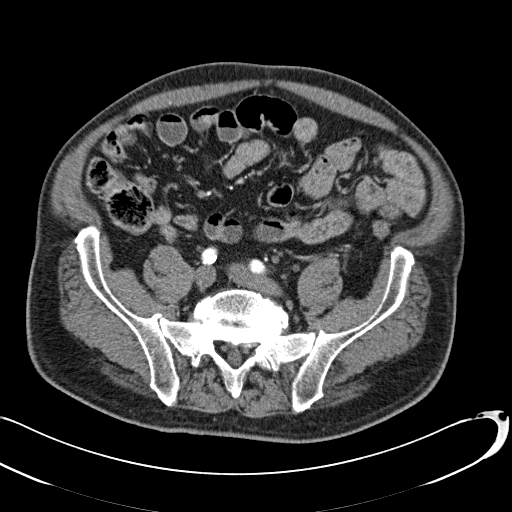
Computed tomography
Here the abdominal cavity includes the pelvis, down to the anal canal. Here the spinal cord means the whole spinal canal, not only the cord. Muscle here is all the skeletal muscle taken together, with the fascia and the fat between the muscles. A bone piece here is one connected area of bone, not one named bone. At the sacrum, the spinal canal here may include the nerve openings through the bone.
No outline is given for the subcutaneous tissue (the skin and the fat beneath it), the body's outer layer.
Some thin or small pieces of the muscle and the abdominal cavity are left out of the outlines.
{"torso":[[[212,61],[304,65],[359,81],[393,103],[432,140],[459,184],[465,245],[449,357],[433,389],[386,420],[349,435],[309,443],[165,432],[120,420],[77,400],[45,381],[30,361],[25,340],[27,283],[38,196],[50,162],[80,126],[126,92],[168,71]]],"muscle":[[[266,77],[329,89],[381,112],[415,138],[443,170],[455,197],[455,223],[428,261],[431,296],[421,339],[359,395],[334,406],[310,408],[324,396],[325,379],[339,354],[404,301],[416,259],[410,249],[394,242],[397,233],[432,215],[433,179],[422,158],[392,131],[274,84],[252,86],[181,105],[134,111],[106,128],[85,155],[77,186],[99,218],[111,253],[109,267],[130,270],[145,288],[144,261],[160,244],[178,250],[196,274],[175,319],[159,311],[139,315],[120,301],[105,279],[101,230],[91,223],[77,231],[72,242],[82,278],[134,335],[147,363],[148,386],[157,397],[116,384],[61,321],[56,261],[72,232],[50,212],[56,168],[89,131],[150,95],[190,85]],[[172,347],[187,357],[189,364],[194,368],[208,356],[220,371],[223,385],[233,399],[240,396],[247,373],[256,365],[277,372],[282,365],[303,358],[290,384],[290,407],[295,414],[248,417],[233,408],[209,413],[173,407],[178,400],[180,377]],[[388,250],[387,279],[374,311],[362,322],[346,329],[334,332],[327,332],[322,328],[307,331],[310,325],[302,314],[296,291],[297,280],[302,270],[316,258],[332,254],[339,263],[342,280],[338,298],[343,300],[351,297],[359,301],[368,295],[374,285]]],"abdominal_cavity":[[[269,85],[399,136],[429,170],[431,215],[395,234],[362,299],[339,298],[332,253],[304,267],[295,291],[306,331],[288,332],[281,304],[238,287],[176,319],[196,270],[160,243],[143,261],[145,287],[113,270],[100,218],[80,195],[82,165],[134,112]]],"spinal_cord":[[[226,343],[229,343],[233,347],[239,348],[240,349],[245,345],[251,345],[252,346],[252,349],[245,355],[241,364],[239,366],[237,367],[233,367],[231,365],[230,365],[230,364],[226,360],[222,352],[220,350],[219,350],[219,345],[223,345]]],"bones":[{"outer":[[91,224],[109,289],[142,317],[187,321],[238,288],[281,305],[285,333],[334,333],[375,311],[394,246],[415,263],[399,307],[338,354],[308,409],[291,407],[303,357],[256,364],[233,398],[208,355],[194,367],[172,346],[168,406],[83,278],[73,239]],"hole":[[226,343],[229,343],[233,347],[239,348],[240,349],[245,345],[251,345],[252,346],[252,349],[245,355],[241,364],[239,366],[237,367],[233,367],[231,365],[230,365],[230,364],[226,360],[222,352],[220,350],[219,350],[219,345],[223,345]]}]}